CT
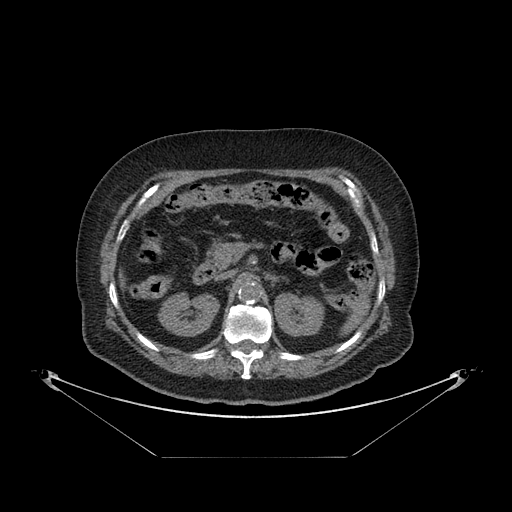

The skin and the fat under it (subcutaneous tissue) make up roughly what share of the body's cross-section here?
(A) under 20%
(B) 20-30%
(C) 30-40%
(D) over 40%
(C) 30-40%
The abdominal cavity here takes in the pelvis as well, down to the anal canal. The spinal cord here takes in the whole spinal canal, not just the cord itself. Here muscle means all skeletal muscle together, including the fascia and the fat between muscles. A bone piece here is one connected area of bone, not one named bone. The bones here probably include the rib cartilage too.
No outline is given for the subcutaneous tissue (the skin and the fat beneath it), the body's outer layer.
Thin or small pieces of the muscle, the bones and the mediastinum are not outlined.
{"muscle":[{"outer":[[324,166],[338,166],[353,173],[379,206],[389,230],[395,256],[389,331],[374,339],[342,365],[315,376],[287,380],[251,378],[251,365],[254,360],[264,356],[262,346],[270,339],[273,331],[286,350],[277,354],[282,360],[304,360],[306,357],[303,354],[336,345],[339,345],[333,351],[335,354],[349,347],[362,335],[360,328],[374,307],[379,306],[384,299],[386,280],[383,276],[379,278],[378,274],[375,256],[379,254],[379,244],[376,234],[373,230],[368,234],[360,217],[361,212],[356,212],[344,196],[332,187],[309,178],[248,172],[201,177],[183,183],[170,190],[131,223],[129,217],[124,218],[115,236],[115,242],[120,243],[114,281],[109,282],[107,291],[112,305],[117,310],[121,308],[137,329],[137,339],[156,352],[160,351],[153,342],[156,342],[184,352],[193,352],[188,355],[192,359],[211,359],[219,351],[218,347],[195,351],[222,334],[231,346],[229,354],[242,365],[240,378],[203,379],[170,372],[140,354],[116,332],[106,327],[99,271],[101,244],[122,202],[146,178],[164,169],[309,169]],"holes":[[[340,174],[350,179],[354,183],[354,184],[359,190],[360,192],[360,195],[361,196],[361,200],[362,201],[362,205],[360,208],[357,208],[355,206],[352,199],[348,194],[348,192],[347,191],[347,189],[348,187],[347,185],[338,177],[338,176]],[[157,182],[159,182],[160,183],[157,190],[146,200],[146,201],[141,206],[141,207],[139,209],[138,209],[136,211],[134,211],[134,207],[135,206],[136,203],[138,201],[138,200],[143,194],[143,193],[149,187],[150,187],[152,185],[153,185]]]}],"spinal_cord":[[[243,340],[250,340],[251,341],[254,342],[256,344],[257,344],[258,345],[258,346],[257,347],[257,348],[255,348],[254,349],[251,350],[249,352],[246,353],[245,352],[236,348],[236,347],[235,346],[236,345],[236,344],[237,344],[239,342],[240,342]]],"bones":[{"outer":[[247,302],[252,306],[263,306],[271,313],[272,331],[269,339],[261,346],[264,352],[263,356],[254,359],[250,365],[249,371],[251,377],[243,379],[241,378],[243,365],[238,358],[230,354],[232,346],[224,338],[222,332],[230,307],[237,304],[246,304]],"hole":[[243,340],[250,340],[251,341],[254,342],[256,344],[257,344],[258,345],[258,346],[257,347],[257,348],[255,348],[254,349],[251,350],[249,352],[246,353],[245,352],[236,348],[236,347],[235,346],[236,345],[236,344],[237,344],[239,342],[240,342]]},[[340,174],[350,179],[354,183],[354,184],[359,190],[360,192],[360,195],[361,196],[361,200],[362,201],[362,205],[360,208],[357,208],[355,206],[352,199],[348,194],[348,192],[347,191],[347,189],[348,187],[347,185],[338,177],[338,176]],[[157,182],[159,182],[160,183],[157,190],[146,200],[146,201],[141,206],[141,207],[139,209],[138,209],[136,211],[134,211],[134,207],[135,206],[136,203],[138,201],[138,200],[143,194],[143,193],[149,187],[150,187],[152,185],[153,185]],[[216,347],[217,348],[218,348],[218,351],[215,354],[215,355],[211,358],[208,358],[207,359],[196,359],[195,358],[192,358],[189,356],[189,355],[191,353],[193,353],[194,352],[202,352],[203,351],[206,351],[207,350],[209,350],[212,348],[215,348]],[[126,218],[129,218],[129,219],[130,220],[130,225],[129,226],[129,228],[127,230],[127,231],[126,232],[124,237],[122,239],[122,240],[120,242],[116,242],[116,236],[117,235],[118,230],[119,229],[119,228],[120,227],[120,226],[121,225],[123,220]],[[359,329],[360,329],[361,330],[361,335],[353,343],[352,343],[349,346],[348,346],[346,348],[345,348],[343,350],[342,350],[339,352],[337,352],[336,353],[335,353],[334,352],[334,351],[343,342],[344,342],[345,341],[346,341],[348,339],[349,339]],[[381,277],[383,277],[385,280],[385,294],[384,295],[384,296],[383,297],[383,299],[381,301],[381,302],[380,303],[380,304],[377,306],[375,306],[375,303],[376,302],[376,299],[377,298],[377,293],[378,292],[378,283],[379,282],[379,280]],[[111,281],[113,281],[115,284],[115,288],[116,289],[116,293],[117,294],[117,298],[118,299],[118,302],[119,303],[119,306],[120,307],[118,309],[117,309],[113,305],[113,304],[110,299],[109,294],[108,293],[108,291],[109,290],[109,284]],[[281,351],[286,351],[287,352],[290,352],[291,353],[294,353],[295,354],[302,354],[305,357],[305,358],[304,359],[298,359],[297,360],[287,360],[286,359],[282,359],[281,358],[279,358],[279,357],[278,356],[278,354],[279,353],[279,352],[280,352]],[[136,331],[138,331],[139,332],[140,332],[144,336],[145,336],[148,339],[149,339],[159,349],[159,351],[156,351],[153,349],[151,349],[150,348],[149,348],[147,346],[146,346],[144,344],[143,344],[138,339],[138,338],[136,335]],[[371,231],[373,231],[374,232],[374,233],[375,234],[375,236],[376,237],[376,239],[377,240],[377,243],[378,244],[378,254],[377,254],[376,255],[374,255],[374,254],[372,251],[372,249],[370,246],[370,238],[369,237],[369,234]]],"mediastinum":[[[251,282],[261,284],[261,286],[263,289],[263,291],[267,300],[267,304],[268,305],[269,310],[263,305],[261,305],[260,304],[252,305],[248,303],[249,302],[248,301],[247,301],[246,303],[237,303],[236,304],[234,304],[238,290],[244,284],[250,283]]],"torso":[[[283,127],[328,129],[359,139],[383,155],[406,186],[416,216],[420,258],[410,309],[411,347],[398,361],[378,368],[362,383],[320,399],[278,406],[177,399],[145,387],[94,356],[81,333],[75,248],[83,209],[103,174],[125,153],[160,136],[202,129]]],"abdominal_cavity":[[[237,173],[299,177],[324,184],[344,197],[359,216],[379,279],[373,309],[346,340],[308,353],[287,351],[273,330],[273,316],[262,284],[254,281],[237,290],[221,333],[194,351],[152,341],[127,317],[119,302],[114,273],[120,244],[132,222],[176,187]]]}